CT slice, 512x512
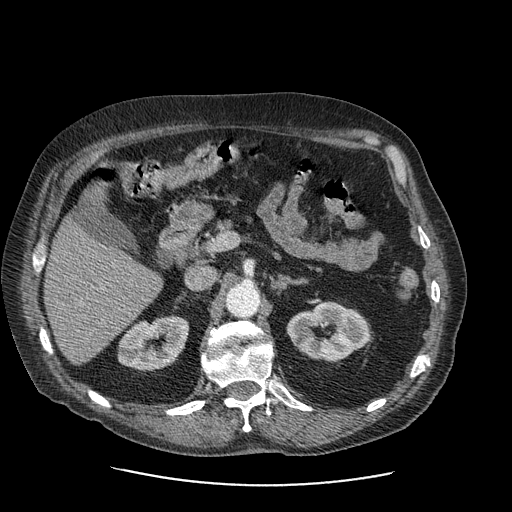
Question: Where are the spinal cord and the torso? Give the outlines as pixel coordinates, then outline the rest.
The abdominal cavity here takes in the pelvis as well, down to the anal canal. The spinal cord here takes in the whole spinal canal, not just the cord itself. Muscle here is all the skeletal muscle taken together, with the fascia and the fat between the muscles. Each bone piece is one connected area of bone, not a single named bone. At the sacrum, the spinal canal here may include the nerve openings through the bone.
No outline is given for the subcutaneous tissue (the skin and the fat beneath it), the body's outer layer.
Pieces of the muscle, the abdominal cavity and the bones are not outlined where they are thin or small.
Answer: The spinal cord is outlined by 239 381; 252 381; 256 384; 257 384; 257 385; 259 388; 259 390; 256 393; 251 395; 247 399; 245 399; 244 400; 237 399; 232 396; 228 396; 227 395; 226 395; 226 391; 225 390; 226 387; 228 385; 229 385; 234 382; 238 382. The torso is outlined by 266 91; 320 94; 361 105; 401 128; 418 149; 456 232; 467 273; 467 299; 453 365; 433 401; 404 429; 335 452; 312 456; 254 453; 201 457; 132 442; 41 394; 16 347; 0 271; 13 214; 41 151; 63 128; 112 102; 147 95. The abdominal cavity is outlined by 218 128; 366 150; 387 162; 394 192; 420 249; 430 312; 421 349; 385 395; 353 408; 302 401; 281 378; 270 336; 247 319; 209 329; 200 344; 198 383; 178 402; 145 404; 106 397; 72 376; 56 354; 39 288; 72 185; 107 152. The muscle is outlined by 200 119; 219 119; 220 120; 263 122; 264 123; 277 123; 292 125; 358 127; 372 130; 387 137; 398 145; 404 152; 412 169; 413 176; 416 181; 416 185; 418 188; 422 203; 439 241; 442 245; 445 259; 448 266; 448 275; 449 276; 449 301; 447 304; 448 305; 446 311; 446 318; 440 342; 439 352; 437 356; 436 365; 429 379; 420 392; 404 406; 369 426; 358 430; 345 437; 342 437; 335 441; 322 444; 319 446; 312 446; 306 448; 287 446; 273 442; 262 436; 245 435; 241 436; 230 443; 228 443; 225 446; 222 446; 219 448; 216 447; 209 448; 190 447; 178 445; 168 441; 163 441; 143 432; 137 431; 135 429; 124 424; 121 424; 101 413; 94 411; 71 396; 56 381; 40 359; 23 326; 17 297; 17 286; 22 246; 25 238; 29 217; 38 197; 40 188; 42 186; 45 177; 50 168; 63 156; 71 153; 93 141; 112 134; 126 132; 129 130; 140 129; 142 127; 162 124; 166 122; 172 122; 179 120; 199 120; inner edges: 218 128; 366 150; 387 162; 422 257; 430 312; 417 354; 428 354; 430 365; 411 378; 414 357; 381 407; 368 412; 366 403; 306 411; 279 401; 267 415; 260 404; 249 411; 251 430; 244 432; 241 410; 223 403; 219 386; 202 370; 182 401; 145 404; 107 397; 108 408; 90 398; 90 386; 72 376; 55 352; 42 347; 39 326; 47 324; 32 253; 43 233; 48 250; 72 185; 107 152, then 366 136; 376 137; 381 141; 382 144; 392 144; 397 148; 399 151; 399 153; 401 155; 401 157; 403 159; 405 165; 406 184; 404 187; 403 187; 396 179; 392 162; 384 153; 382 146; 381 145; 376 146; 366 142; 364 140; 364 138, then 196 399; 205 399; 207 401; 200 409; 196 410; 189 414; 185 414; 184 415; 180 415; 179 414; 177 414; 176 415; 168 415; 163 411; 164 409; 174 407; 175 406; 177 406; 178 405; 183 404; 186 402; 188 402; 192 400; 195 400, then 417 225; 420 225; 420 226; 422 228; 424 232; 427 235; 430 241; 430 246; 428 249; 425 249; 423 248; 420 244; 420 242; 419 241; 419 236; 418 235; 418 232; 417 231; 417 228; 416 227, then 433 279; 434 279; 437 282; 437 283; 438 284; 438 285; 439 286; 439 291; 440 292; 440 297; 439 298; 439 301; 437 303; 435 303; 432 300; 432 299; 430 297; 430 293; 431 292; 431 289; 430 288; 430 287; 431 286; 431 281. The bones appear in 9 outlined pieces: piece 1: 245 320; 269 336; 273 342; 273 373; 293 396; 312 406; 312 411; 279 401; 270 406; 271 413; 267 415; 266 406; 260 404; 249 411; 251 430; 242 430; 241 410; 223 403; 219 386; 208 380; 201 367; 200 354; 201 344; 211 328, around a hole outlined by 239 381; 252 381; 256 384; 257 384; 257 385; 259 388; 259 390; 256 393; 251 395; 247 399; 245 399; 244 400; 237 399; 232 396; 228 396; 227 395; 226 395; 226 391; 225 390; 226 387; 228 385; 229 385; 234 382; 238 382; piece 2: 366 136; 376 137; 381 141; 382 144; 392 144; 397 148; 399 151; 399 153; 401 155; 401 157; 403 159; 405 165; 406 184; 404 187; 403 187; 396 179; 392 162; 384 153; 382 146; 381 145; 376 146; 366 142; 364 140; 364 138; piece 3: 196 399; 205 399; 207 401; 200 409; 196 410; 189 414; 185 414; 184 415; 180 415; 179 414; 177 414; 176 415; 168 415; 163 411; 164 409; 174 407; 175 406; 177 406; 178 405; 183 404; 186 402; 188 402; 192 400; 195 400; piece 4: 43 233; 44 233; 44 235; 45 236; 45 244; 46 245; 46 255; 45 256; 45 261; 43 264; 43 267; 41 270; 41 272; 39 275; 36 275; 34 272; 34 269; 33 268; 33 266; 32 265; 32 253; 33 252; 41 235; piece 5: 419 354; 428 354; 429 355; 429 357; 430 358; 430 365; 429 366; 428 366; 423 372; 420 373; 417 376; 416 376; 413 378; 411 378; 409 376; 409 373; 410 372; 410 370; 411 369; 412 364; 413 363; 416 356; 417 356; piece 6: 40 325; 42 325; 46 329; 47 331; 47 333; 49 336; 49 339; 50 340; 51 345; 54 350; 54 353; 53 354; 49 354; 42 347; 42 345; 39 339; 39 335; 38 334; 39 332; 39 326; piece 7: 87 388; 91 388; 93 390; 94 390; 98 393; 99 393; 102 396; 105 397; 109 401; 109 402; 111 404; 111 407; 108 408; 107 407; 102 406; 101 405; 94 402; 90 398; 90 397; 88 395; 88 394; 86 391; 86 389; piece 8: 417 225; 420 225; 420 226; 422 228; 424 232; 427 235; 430 241; 430 246; 428 249; 425 249; 423 248; 420 244; 420 242; 419 241; 419 236; 418 235; 418 232; 417 231; 417 228; 416 227; piece 9: 380 397; 385 397; 387 399; 386 400; 385 403; 381 407; 379 407; 378 408; 377 408; 372 411; 369 411; 368 412; 367 411; 366 411; 366 410; 365 409; 366 408; 367 405; 370 402; 371 402; 373 400; 374 400; 377 398; 379 398.